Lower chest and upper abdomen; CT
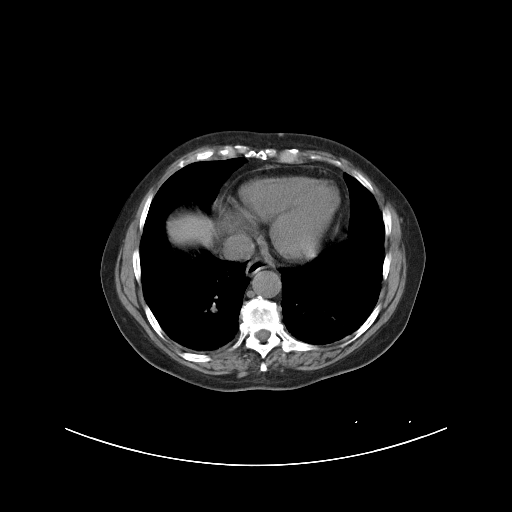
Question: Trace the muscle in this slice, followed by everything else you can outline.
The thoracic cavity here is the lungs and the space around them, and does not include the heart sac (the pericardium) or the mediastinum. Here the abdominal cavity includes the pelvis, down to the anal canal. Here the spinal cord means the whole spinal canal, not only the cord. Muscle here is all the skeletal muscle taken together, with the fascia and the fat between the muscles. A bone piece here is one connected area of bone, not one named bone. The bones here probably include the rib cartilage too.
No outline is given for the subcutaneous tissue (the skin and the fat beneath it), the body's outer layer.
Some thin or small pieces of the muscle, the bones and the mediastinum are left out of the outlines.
Answer: The muscle is outlined by 205 145; 224 145; 216 151; 208 147; 180 159; 177 163; 178 169; 155 193; 151 191; 147 195; 139 216; 138 230; 141 236; 139 247; 132 251; 131 262; 135 280; 141 285; 145 301; 143 311; 152 329; 162 340; 166 339; 166 334; 183 348; 184 351; 176 352; 180 357; 201 363; 212 359; 209 354; 202 353; 229 345; 231 351; 242 345; 257 352; 262 359; 277 346; 284 353; 306 352; 317 350; 318 345; 344 338; 339 345; 342 348; 372 325; 382 308; 382 303; 378 300; 382 282; 388 277; 392 260; 392 253; 385 252; 385 238; 392 231; 391 212; 387 207; 380 209; 372 184; 358 170; 353 169; 350 174; 340 167; 342 163; 338 159; 325 158; 319 154; 309 154; 310 160; 301 160; 299 149; 309 149; 325 151; 351 162; 368 176; 402 218; 406 257; 404 290; 389 319; 360 347; 323 368; 267 371; 263 360; 259 365; 259 373; 237 377; 207 374; 183 365; 145 336; 116 292; 114 270; 121 238; 142 198; 167 167; 182 155. The abdominal cavity is outlined by 183 206; 188 208; 192 208; 196 206; 205 212; 206 214; 210 214; 212 218; 216 222; 221 233; 220 248; 217 256; 211 252; 202 248; 198 250; 182 251; 181 250; 175 249; 170 245; 166 236; 165 222; 168 216; 174 210. The mediastinum appears in 3 outlined pieces: piece 1: 220 228; 228 237; 238 236; 247 239; 268 264; 289 267; 281 267; 279 269; 281 280; 280 308; 276 302; 264 298; 261 295; 257 295; 243 302; 243 297; 250 281; 250 279; 245 273; 246 263; 221 258; 218 256; 222 240; 222 233; piece 2: 247 158; 264 161; 275 159; 280 163; 286 164; 297 163; 299 160; 329 163; 343 170; 342 176; 347 186; 348 195; 344 181; 333 170; 313 165; 264 165; 246 171; 227 186; 216 203; 217 223; 211 214; 212 205; 223 184; 247 161; piece 3: 348 199; 348 215; 349 216; 349 220; 348 221; 348 225; 347 226; 347 233; 348 234; 348 239; 347 241; 345 242; 336 242; 333 244; 330 245; 327 245; 328 245; 334 239; 336 236; 337 230; 339 227; 339 225; 341 221; 341 218; 343 216; 347 208. The pericardium is outlined by 264 166; 313 166; 324 168; 333 171; 340 176; 346 187; 346 191; 348 196; 346 208; 340 218; 335 236; 318 254; 299 265; 282 266; 268 263; 247 238; 238 235; 229 235; 228 236; 218 224; 217 203; 220 196; 236 178; 252 169. The torso is outlined by 226 129; 298 132; 336 140; 369 159; 407 198; 421 230; 425 247; 425 266; 405 328; 392 345; 370 363; 295 389; 216 391; 188 383; 154 367; 134 350; 120 332; 103 293; 100 263; 106 240; 124 202; 148 171; 176 146; 195 136. The spinal cord is outlined by 263 329; 264 330; 267 330; 269 332; 269 336; 267 338; 267 339; 264 342; 262 342; 259 339; 258 339; 256 337; 256 336; 255 335; 255 334; 258 331; 259 331; 260 330; 262 330. The bones appear in 11 outlined pieces: piece 1: 257 296; 276 303; 280 309; 281 321; 285 330; 291 336; 297 340; 317 345; 318 348; 306 351; 292 350; 284 352; 277 345; 264 358; 257 351; 246 348; 242 344; 236 349; 231 350; 230 347; 239 334; 241 307; 245 301, around a hole outlined by 263 329; 264 330; 267 330; 269 332; 269 336; 267 338; 267 339; 264 342; 262 342; 259 339; 258 339; 256 337; 256 336; 255 335; 255 334; 258 331; 259 331; 260 330; 262 330; piece 2: 235 144; 246 145; 255 151; 266 148; 274 148; 278 151; 286 148; 297 148; 299 159; 297 162; 286 163; 275 158; 264 160; 242 155; 223 159; 215 154; 213 159; 191 162; 178 168; 180 160; 200 151; 209 148; 216 152; 225 145; piece 3: 378 302; 380 302; 381 303; 381 308; 376 318; 371 324; 371 325; 363 333; 362 333; 354 340; 353 340; 348 344; 341 347; 340 345; 346 340; 345 338; 347 336; 351 337; 353 335; 353 333; 366 320; 366 319; 369 316; 369 315; piece 4: 145 303; 147 304; 150 310; 152 312; 153 315; 155 317; 156 320; 158 322; 159 325; 165 333; 164 334; 164 336; 165 337; 165 339; 164 340; 162 339; 157 334; 157 333; 153 329; 153 328; 149 323; 144 311; 144 307; 143 306; piece 5: 178 351; 181 351; 182 352; 190 352; 191 353; 201 353; 202 354; 207 354; 211 357; 211 359; 209 361; 202 361; 201 362; 195 362; 194 361; 190 361; 189 360; 187 360; 186 359; 183 358; 181 356; 180 356; 177 353; 177 352; piece 6: 135 248; 138 248; 139 250; 139 263; 140 264; 140 271; 141 272; 141 274; 140 275; 140 283; 141 284; 139 284; 137 282; 136 280; 136 278; 135 277; 134 270; 133 269; 133 263; 132 262; 132 254; piece 7: 151 192; 154 193; 154 195; 150 203; 150 205; 149 206; 149 208; 148 209; 148 211; 145 218; 145 221; 143 225; 142 232; 141 233; 139 230; 139 220; 140 219; 140 216; 141 215; 144 204; 146 201; 146 199; 148 195; piece 8: 384 208; 387 208; 389 210; 389 211; 390 212; 390 214; 391 215; 391 231; 390 232; 390 233; 389 234; 389 235; 387 237; 385 237; 385 226; 384 225; 384 222; 383 221; 383 218; 382 217; 382 210; piece 9: 353 170; 356 170; 357 171; 358 171; 366 179; 367 179; 368 180; 368 181; 371 184; 371 185; 372 186; 372 187; 373 188; 373 192; 372 193; 366 187; 365 187; 357 179; 356 179; 352 175; 351 175; 351 172; piece 10: 387 252; 389 252; 391 253; 391 260; 389 264; 389 270; 387 274; 387 277; 385 280; 383 280; 383 275; 382 274; 382 272; 383 271; 383 262; 384 261; 384 257; 385 256; 385 253; piece 11: 309 155; 319 155; 325 159; 335 159; 336 160; 338 160; 341 163; 341 166; 340 166; 339 167; 338 166; 336 166; 335 165; 334 165; 333 164; 332 164; 331 163; 330 163; 329 162; 328 162; 326 160; 311 160; 309 158. The thoracic cavity appears in 2 outlined pieces: piece 1: 239 156; 246 161; 222 184; 210 213; 196 205; 183 205; 164 222; 165 236; 173 249; 202 249; 221 259; 245 263; 244 273; 249 279; 233 343; 207 352; 185 351; 164 331; 144 297; 139 249; 144 225; 155 194; 176 171; 199 161; piece 2: 345 172; 357 180; 373 195; 381 211; 384 226; 382 281; 376 304; 365 320; 351 334; 330 343; 314 344; 297 339; 286 330; 281 314; 282 280; 280 269; 304 264; 318 255; 327 246; 348 241; 348 226; 350 220; 349 190; 343 176.